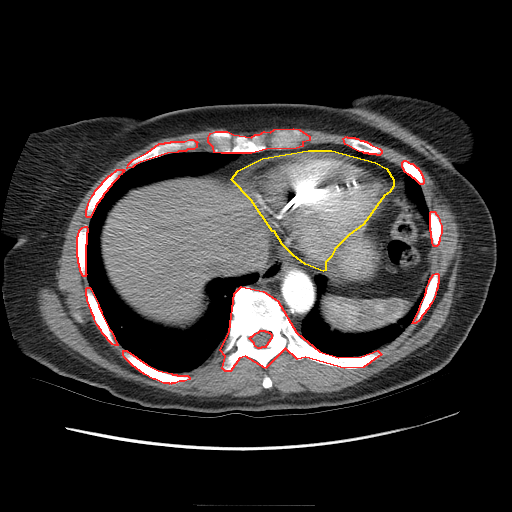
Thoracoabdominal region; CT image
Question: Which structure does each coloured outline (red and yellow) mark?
Answer: red: bones; yellow: pericardium.
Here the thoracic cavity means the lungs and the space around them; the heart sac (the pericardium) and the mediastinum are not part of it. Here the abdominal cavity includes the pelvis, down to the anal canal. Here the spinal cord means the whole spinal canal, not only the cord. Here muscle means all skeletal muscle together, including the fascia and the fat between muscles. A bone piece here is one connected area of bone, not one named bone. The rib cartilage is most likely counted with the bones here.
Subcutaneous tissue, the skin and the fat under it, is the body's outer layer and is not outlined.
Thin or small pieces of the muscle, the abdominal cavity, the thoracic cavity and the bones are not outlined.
Outlines:
bones 1: 241,286 263,291 277,300 296,332 319,351 338,357 361,356 377,350 381,354 363,367 344,368 305,357 297,359 285,348 265,368 245,356 239,358 230,371 225,371 222,368 225,356 220,350 229,331 234,293 with a hole at 260,330 264,330 265,331 267,331 268,332 269,332 271,334 271,338 269,340 269,341 267,343 267,344 265,346 265,347 261,347 260,348 258,348 255,346 254,343 249,338 251,336 252,336 255,333 258,332
bones 2: 293,128 299,129 309,136 309,140 302,142 302,146 296,148 266,149 251,153 221,153 214,152 213,147 208,142 208,137 210,133 215,131 227,131 233,134 251,137 255,134 259,134 264,131 270,132 274,129
bones 3: 189,139 192,139 197,142 196,143 196,147 193,149 187,149 185,151 178,151 177,152 167,153 140,162 134,165 132,167 127,168 128,164 133,159 147,152 159,143 164,143 165,142 170,142 171,141 184,141
bones 4: 123,350 126,350 146,364 158,370 171,373 172,374 176,374 177,375 187,375 189,377 189,379 184,381 179,381 175,383 171,383 170,384 169,383 163,383 155,379 153,379 144,374 132,365 124,357 123,355
bones 5: 87,287 89,287 90,288 98,304 98,306 101,311 101,313 109,329 111,331 117,345 114,345 112,344 102,333 101,330 97,325 94,319 94,317 91,312 91,310 87,300 87,297 86,296 86,288
bones 6: 117,169 123,169 124,170 123,172 122,172 121,174 118,176 118,177 111,184 111,185 103,194 103,195 95,206 90,217 87,217 86,216 86,209 87,208 88,203 92,195 94,193 95,190 109,175 110,175
bones 7: 435,273 437,273 438,274 438,283 437,284 437,288 436,289 434,297 431,303 429,305 428,308 422,315 419,320 415,323 412,323 419,310 420,305 425,295 425,293 426,292 426,288 429,282 429,280 433,274
bones 8: 346,136 347,137 354,137 355,138 357,138 360,140 363,140 364,141 366,141 370,144 379,148 381,150 381,153 379,155 377,155 376,154 369,154 368,153 364,153 363,152 358,151 345,144 343,138
bones 9: 84,226 86,226 87,228 87,232 86,233 86,244 85,245 85,273 86,274 85,276 83,276 80,271 80,268 79,267 79,264 78,263 78,258 77,257 77,236 78,235 79,230 82,227
bones 10: 431,211 434,211 435,212 435,213 437,215 439,219 439,221 441,225 441,233 439,237 439,241 438,242 438,244 436,246 434,246 433,245 432,243 432,239 431,238 431,232 430,231 430,212
bones 11: 404,160 405,160 410,163 412,163 416,167 417,167 418,168 418,169 420,171 420,172 422,175 422,177 423,178 423,183 422,184 420,184 414,178 413,178 410,175 409,175 404,171 404,170 402,167 402,162
pericardium: 308,150 331,150 375,162 386,168 393,179 393,186 389,192 384,195 363,224 348,235 334,249 331,256 325,262 325,270 323,271 305,264 293,255 282,244 274,231 272,231 251,200 231,179 238,170 262,158
mediastinum 1: 276,237 281,244 300,262 323,272 315,275 313,278 316,286 315,301 301,321 300,334 295,329 290,318 282,309 281,304 277,299 263,290 254,289 250,286 259,278 259,275 255,272 265,265 271,249 271,244
mediastinum 2: 314,144 342,145 364,154 379,156 403,171 403,182 399,186 394,185 394,179 391,172 383,165 369,159 331,149 308,149 262,157 238,169 229,178 218,173 216,170 234,160 240,154 258,153 266,150 289,150
spinal cord: 260,330 264,330 265,331 267,331 268,332 269,332 271,334 271,338 269,340 269,341 267,343 267,344 265,346 265,347 261,347 260,348 258,348 255,346 254,343 249,338 251,336 252,336 255,333 258,332
thoracic cavity 1: 186,151 237,157 196,175 131,187 105,214 98,238 105,276 117,296 144,320 166,328 184,330 204,315 213,279 258,275 235,289 225,340 199,365 172,373 146,363 116,339 88,281 86,245 91,216 119,176
thoracic cavity 2: 319,274 325,276 327,280 325,291 318,300 319,315 330,330 343,334 371,332 395,324 410,311 421,293 424,290 425,292 413,320 393,340 365,354 338,356 319,350 300,335 302,321 316,301 317,286 314,278
thoracic cavity 3: 404,172 414,179 420,185 420,187 425,200 425,203 429,212 429,229 428,229 428,226 425,223 424,219 422,217 420,212 418,211 418,209 416,207 416,205 414,202 408,197 405,192 405,186 404,185
muscle 1: 273,127 292,128 274,128 251,136 212,131 207,137 212,151 188,151 197,147 198,142 192,138 159,142 133,158 127,170 117,168 97,186 85,209 85,216 90,218 88,226 82,226 76,236 76,257 79,271 89,285 85,288 86,300 101,333 112,345 118,345 116,340 119,343 124,349 123,357 138,371 170,385 189,380 187,374 177,374 202,364 224,341 219,353 224,356 221,368 225,372 245,357 265,369 285,349 297,360 305,358 344,369 363,368 375,361 382,354 378,349 418,322 435,297 439,274 431,276 432,244 439,244 442,225 436,212 429,211 419,168 405,159 402,169 396,166 380,156 382,150 369,141 407,155 430,176 455,215 461,254 453,303 444,324 428,343 369,378 338,391 275,390 244,397 206,397 180,395 116,377 68,347 48,329 38,309 37,291 55,281 70,219 85,193 110,166 161,138 207,128 239,133 with a hole at 265,374 266,374 270,378 270,379 271,380 271,381 272,382 272,385 271,386 271,387 270,387 269,388 265,388 262,385 262,382 263,381 263,378 264,377 264,376 265,375
muscle 2: 297,128 308,128 313,130 318,130 319,131 324,131 330,133 350,135 352,136 347,136 346,135 344,136 342,138 345,145 336,144 335,143 314,143 303,146 302,143 309,141 310,140 309,138 310,136 306,134 299,128
abdominal cavity 1: 213,170 230,178 273,231 275,239 270,244 267,259 262,267 250,274 215,277 208,282 205,291 209,304 203,315 189,327 172,328 146,320 122,301 106,276 100,254 99,238 106,214 131,188 178,176 196,176
abdominal cavity 2: 403,183 405,194 415,205 430,232 430,277 426,287 409,311 395,323 358,333 343,333 332,330 320,315 319,310 319,300 326,291 328,280 322,274 326,270 325,264 335,249 364,224 385,195 394,186 399,187
torso: 372,93 446,106 475,135 472,159 456,168 490,211 496,267 481,312 441,369 346,405 222,413 143,406 60,375 20,351 3,297 3,259 15,241 2,227 12,176 32,132 105,115 149,117 214,104 345,107